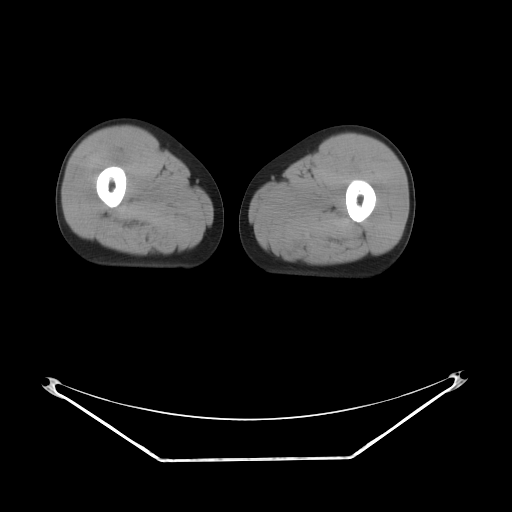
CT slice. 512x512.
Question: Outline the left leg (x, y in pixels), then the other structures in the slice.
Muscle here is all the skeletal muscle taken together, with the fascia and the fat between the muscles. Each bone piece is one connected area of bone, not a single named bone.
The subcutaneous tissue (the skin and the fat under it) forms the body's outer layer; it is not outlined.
Answer: The left leg is outlined by [[347,123],[364,125],[387,136],[399,148],[410,167],[415,188],[415,217],[411,235],[405,249],[391,267],[371,279],[299,277],[275,275],[262,271],[248,258],[244,252],[238,232],[238,215],[240,205],[248,183],[256,172],[267,162],[307,135],[324,127]]. The bones appear in 2 outlined pieces: piece 1: [[354,179],[362,179],[368,182],[374,189],[375,195],[376,196],[376,201],[375,202],[375,205],[374,206],[373,210],[365,219],[360,222],[354,221],[349,216],[347,212],[347,209],[346,208],[346,205],[345,204],[345,191],[346,190],[346,188],[348,184]]; piece 2: [[108,166],[119,166],[121,167],[124,170],[125,172],[125,175],[126,176],[126,189],[125,190],[124,196],[122,200],[120,202],[120,203],[115,207],[109,207],[106,204],[105,204],[100,199],[100,198],[98,196],[96,192],[96,178],[98,174],[104,168]]. The right leg is outlined by [[114,117],[135,117],[146,120],[163,128],[190,150],[203,163],[215,180],[223,202],[224,228],[217,249],[213,255],[200,266],[194,269],[147,269],[92,265],[78,256],[63,238],[57,224],[54,203],[55,185],[63,157],[71,144],[84,131],[101,121]]. The muscle appears in 2 outlined pieces: piece 1: [[346,131],[363,133],[382,141],[394,152],[405,170],[409,189],[409,213],[399,242],[387,253],[372,259],[334,265],[310,265],[306,263],[288,262],[269,255],[256,242],[251,235],[248,226],[248,209],[253,194],[276,172],[292,161],[307,154],[325,138]]; inner edge: [[354,179],[362,179],[368,182],[374,189],[375,195],[376,196],[376,201],[375,202],[375,205],[374,206],[373,210],[365,219],[360,222],[354,221],[349,216],[347,212],[347,209],[346,208],[346,205],[345,204],[345,191],[346,190],[346,188],[348,184]]; piece 2: [[117,124],[131,124],[150,132],[188,167],[210,197],[214,212],[213,228],[208,236],[195,249],[187,254],[169,257],[149,257],[116,252],[96,243],[82,240],[72,232],[66,223],[61,206],[60,192],[69,157],[79,143],[89,134],[103,127]]; inner edge: [[108,166],[119,166],[121,167],[124,170],[125,172],[125,175],[126,176],[126,189],[125,190],[124,196],[122,200],[120,202],[120,203],[115,207],[109,207],[106,204],[105,204],[100,199],[100,198],[98,196],[96,192],[96,178],[98,174],[104,168]].